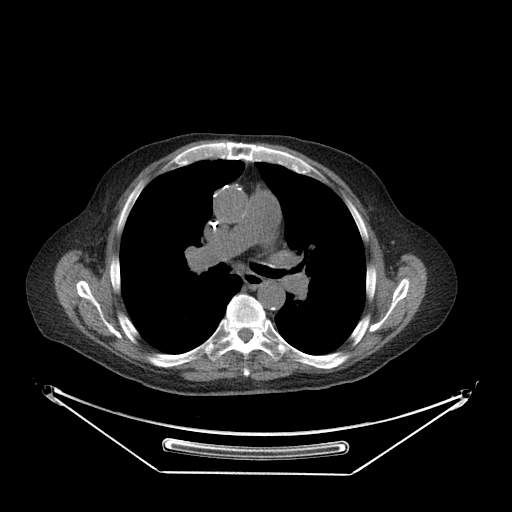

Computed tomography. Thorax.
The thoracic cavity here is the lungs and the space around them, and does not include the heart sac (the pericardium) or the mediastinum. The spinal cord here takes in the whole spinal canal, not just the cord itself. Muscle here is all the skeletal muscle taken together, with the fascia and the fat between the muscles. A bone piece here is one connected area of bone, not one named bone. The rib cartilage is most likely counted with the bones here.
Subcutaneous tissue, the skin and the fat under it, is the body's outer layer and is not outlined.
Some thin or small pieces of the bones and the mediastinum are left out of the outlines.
Outlines:
thoracic cavity 1: 206 159; 243 162; 241 173; 213 192; 212 213; 203 225; 200 237; 210 257; 224 271; 237 275; 241 286; 227 303; 214 331; 204 341; 180 353; 164 353; 140 335; 128 315; 121 293; 119 253; 122 233; 135 202; 148 183; 160 174
thoracic cavity 2: 256 162; 278 164; 327 185; 343 201; 356 225; 364 248; 365 299; 359 320; 345 341; 335 351; 325 354; 304 352; 290 344; 274 325; 274 318; 286 301; 283 286; 285 277; 282 274; 283 271; 288 270; 285 222; 280 202; 262 178
spinal cord: 243 328; 247 328; 248 329; 249 329; 252 332; 252 336; 247 341; 244 341; 238 335; 238 332; 241 329; 242 329
muscle: 207 139; 230 140; 204 142; 182 150; 149 182; 147 178; 140 179; 119 213; 116 225; 116 233; 121 235; 119 252; 111 257; 109 278; 113 291; 121 294; 127 315; 118 311; 116 317; 133 344; 141 337; 157 351; 146 355; 148 362; 158 368; 170 368; 203 355; 214 361; 232 350; 246 360; 252 351; 260 350; 274 361; 286 355; 315 368; 335 368; 350 356; 338 350; 346 340; 353 347; 367 331; 376 331; 407 295; 410 280; 403 277; 379 320; 370 323; 368 313; 361 317; 365 300; 371 302; 374 298; 377 270; 370 262; 366 264; 363 242; 369 240; 369 235; 360 212; 346 195; 342 199; 314 166; 287 151; 255 142; 298 151; 339 176; 366 210; 387 270; 405 253; 412 253; 423 262; 427 273; 425 295; 404 328; 378 350; 341 370; 294 373; 269 380; 238 377; 209 381; 191 381; 176 373; 143 368; 80 331; 56 295; 53 275; 57 262; 67 251; 79 249; 102 266; 109 228; 118 212; 117 202; 130 183; 150 163; 188 143; inner edges: 80 280; 84 280; 88 284; 92 295; 100 306; 100 308; 102 311; 104 318; 117 331; 120 333; 121 335; 121 338; 117 337; 109 330; 101 319; 99 312; 94 304; 89 299; 82 297; 78 294; 77 292; 77 288; 76 287; 76 283, then 244 366; 245 366; 246 366; 247 367; 248 368; 248 369; 249 370; 249 371; 249 372; 249 373; 249 374; 248 375; 247 376; 246 376; 245 376; 244 375; 243 374; 243 373; 243 372; 243 371; 243 370; 243 369; 243 368; 244 367
bones 1: 238 293; 255 298; 278 333; 298 350; 311 355; 342 351; 348 358; 335 367; 319 368; 295 361; 286 354; 274 360; 260 349; 252 350; 245 359; 232 349; 214 360; 203 354; 170 367; 153 365; 146 357; 150 353; 180 354; 204 342 with a hole at 243 328; 247 328; 248 329; 249 329; 252 332; 252 336; 247 341; 244 341; 238 335; 238 332; 241 329; 242 329
bones 2: 220 141; 253 143; 287 152; 302 159; 314 167; 326 178; 328 182; 326 184; 314 177; 298 173; 278 163; 268 161; 248 161; 242 159; 225 158; 200 159; 189 164; 176 167; 163 173; 160 173; 159 171; 171 159; 182 151; 196 145
bones 3: 403 278; 407 278; 409 280; 409 285; 406 295; 397 302; 387 318; 376 330; 374 331; 367 330; 361 339; 353 346; 352 341; 348 338; 360 319; 363 316; 368 314; 370 316; 369 319; 370 324; 379 321; 388 310; 392 301; 393 292
bones 4: 142 179; 147 179; 147 183; 142 189; 136 200; 134 202; 127 216; 127 218; 126 219; 126 221; 123 227; 123 230; 121 234; 118 234; 117 233; 117 225; 118 224; 120 213; 124 206; 124 204; 129 194; 132 191; 138 182
bones 5: 80 280; 84 280; 88 284; 92 295; 100 306; 100 308; 102 311; 104 318; 117 331; 120 333; 121 335; 121 338; 117 337; 109 330; 101 319; 99 312; 94 304; 89 299; 82 297; 78 294; 77 292; 77 288; 76 287; 76 283
bones 6: 344 195; 351 201; 351 202; 355 206; 359 212; 363 220; 363 222; 365 225; 365 227; 367 231; 367 234; 368 235; 368 240; 367 241; 363 241; 360 235; 360 233; 357 227; 357 225; 349 209; 343 200; 343 196
bones 7: 118 312; 122 312; 124 313; 127 316; 128 316; 129 319; 131 321; 131 322; 139 333; 139 335; 140 336; 137 339; 137 343; 136 344; 133 343; 127 337; 127 336; 123 331; 119 323; 119 321; 117 317; 117 314
bones 8: 369 263; 370 263; 372 265; 373 265; 374 266; 374 267; 376 270; 376 280; 375 281; 375 289; 374 290; 374 293; 373 294; 373 298; 371 301; 369 301; 366 298; 366 266; 367 265; 367 264; 368 264
bones 9: 114 255; 118 255; 118 257; 119 258; 119 274; 120 275; 120 292; 119 293; 116 293; 114 291; 114 290; 113 289; 113 287; 112 286; 112 284; 111 283; 111 279; 110 278; 110 263; 111 262; 111 260; 112 259; 112 257
torso: 190 132; 291 135; 333 146; 370 166; 401 213; 431 233; 454 264; 457 295; 443 323; 357 381; 315 390; 218 396; 180 395; 147 387; 44 337; 32 318; 24 287; 26 272; 40 247; 54 231; 82 211; 98 180; 113 163; 144 144
pericardium: 243 182; 260 182; 266 185; 267 188; 276 198; 281 214; 281 219; 283 224; 283 234; 281 237; 280 242; 273 249; 258 256; 235 256; 224 253; 211 247; 205 239; 205 228; 214 212; 214 196; 217 191; 220 188; 228 184; 242 183
mediastinum 1: 280 205; 284 222; 287 250; 287 270; 281 272; 284 277; 282 286; 285 301; 272 320; 255 297; 238 292; 242 286; 241 278; 224 270; 211 257; 201 237; 206 223; 204 239; 211 248; 235 257; 261 256; 273 250; 282 240; 284 234; 284 224
mediastinum 2: 243 161; 247 161; 248 162; 255 162; 254 164; 259 171; 259 173; 261 176; 261 178; 266 184; 260 181; 243 181; 242 182; 232 182; 231 183; 229 183; 233 181; 236 178; 237 178; 242 173; 242 172; 244 170; 244 162